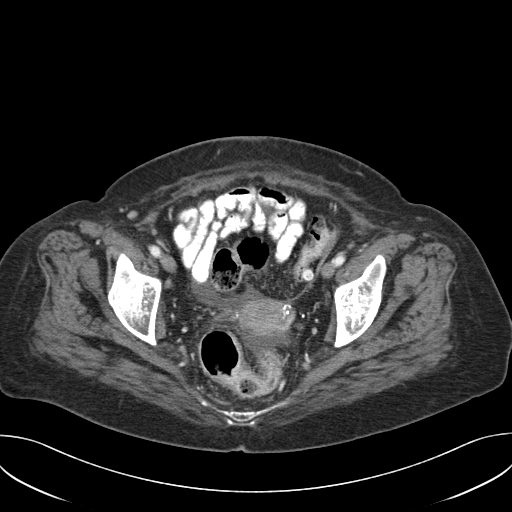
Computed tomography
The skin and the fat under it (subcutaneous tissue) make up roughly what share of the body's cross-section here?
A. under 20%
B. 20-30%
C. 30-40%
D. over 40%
C. 30-40%
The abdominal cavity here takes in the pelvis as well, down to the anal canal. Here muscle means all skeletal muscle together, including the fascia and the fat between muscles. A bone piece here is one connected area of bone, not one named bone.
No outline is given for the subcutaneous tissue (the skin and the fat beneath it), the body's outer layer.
The muscle is outlined by 246 162; 310 172; 342 185; 375 209; 423 219; 446 233; 457 268; 449 287; 453 347; 445 364; 403 384; 273 428; 218 428; 186 420; 83 376; 45 353; 41 357; 33 353; 32 325; 45 290; 36 252; 50 230; 138 202; 182 177, around holes outlined by 254 177; 330 199; 369 237; 337 270; 334 289; 378 254; 387 269; 380 306; 361 335; 334 347; 333 305; 323 341; 277 397; 231 403; 179 362; 161 298; 153 346; 120 322; 107 292; 121 252; 138 271; 160 277; 138 237; 166 205 and by 202 399; 204 399; 214 407; 228 411; 259 410; 281 401; 287 401; 288 403; 285 406; 272 409; 256 416; 254 418; 255 423; 253 425; 247 425; 246 423; 238 422; 233 425; 229 425; 226 422; 225 415; 210 406; 204 406; 200 402. The bones appear in 3 outlined pieces: piece 1: 121 252; 123 252; 131 260; 134 267; 138 271; 148 275; 158 277; 161 279; 161 293; 155 318; 155 338; 157 342; 157 344; 155 346; 147 343; 131 333; 120 322; 108 302; 107 292; 113 280; 114 270; 115 269; 115 262; 119 253; piece 2: 378 254; 381 254; 384 256; 387 266; 386 273; 382 285; 382 300; 378 311; 371 324; 361 335; 343 346; 334 347; 333 344; 335 340; 335 332; 336 331; 336 312; 333 296; 334 289; 339 284; 348 282; 360 276; 366 266; piece 3: 202 399; 204 399; 214 407; 228 411; 259 410; 281 401; 287 401; 288 403; 285 406; 272 409; 256 416; 254 418; 255 423; 253 425; 247 425; 246 423; 238 422; 233 425; 229 425; 226 422; 225 415; 210 406; 204 406; 200 402. The torso is outlined by 234 135; 282 136; 340 151; 383 174; 409 201; 430 205; 453 219; 479 249; 511 318; 511 353; 503 383; 396 429; 282 453; 163 444; 100 426; 47 402; 1 392; 0 257; 14 238; 71 202; 99 199; 118 177; 147 160; 191 143. The abdominal cavity is outlined by 254 177; 337 203; 351 217; 355 231; 369 237; 369 243; 337 270; 333 305; 323 341; 306 358; 291 383; 275 398; 231 403; 206 391; 179 362; 166 335; 160 269; 146 255; 138 237; 154 225; 166 205; 202 191; 219 190; 237 179.